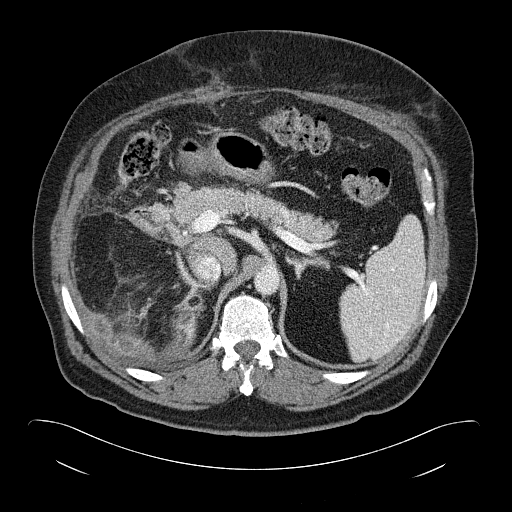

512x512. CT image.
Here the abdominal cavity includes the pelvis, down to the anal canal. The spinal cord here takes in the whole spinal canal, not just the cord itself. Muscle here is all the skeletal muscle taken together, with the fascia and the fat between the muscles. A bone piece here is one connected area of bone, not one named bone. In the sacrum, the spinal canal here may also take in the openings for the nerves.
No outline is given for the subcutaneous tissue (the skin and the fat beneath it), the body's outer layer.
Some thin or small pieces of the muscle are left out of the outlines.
{"abdominal_cavity":[[[262,92],[285,92],[337,109],[410,153],[428,236],[427,289],[417,323],[374,365],[332,371],[292,355],[275,331],[270,304],[241,292],[223,304],[218,330],[198,355],[157,371],[128,367],[88,332],[70,273],[75,218],[100,157],[118,132],[154,112]]],"spinal_cord":[[[246,340],[252,340],[253,341],[255,341],[257,343],[258,343],[259,345],[259,349],[257,351],[257,352],[250,359],[248,360],[245,360],[243,359],[243,358],[235,350],[235,345],[237,343],[239,342],[242,342]]],"bones":[{"outer":[[241,293],[269,304],[274,331],[280,335],[289,354],[286,358],[272,350],[271,369],[255,364],[250,374],[253,390],[249,396],[239,390],[243,375],[238,366],[224,370],[221,366],[224,350],[220,348],[213,355],[210,349],[212,338],[218,334],[224,304]],"hole":[[246,340],[252,340],[253,341],[255,341],[257,343],[258,343],[259,345],[259,349],[257,351],[257,352],[250,359],[248,360],[245,360],[243,359],[243,358],[235,350],[235,345],[237,343],[239,342],[242,342]]},[[424,166],[426,166],[428,168],[428,170],[432,178],[433,195],[434,196],[434,199],[435,200],[435,206],[434,207],[434,214],[432,216],[429,215],[427,213],[422,203],[422,194],[421,193],[421,182],[420,181],[420,178],[419,177],[419,172],[421,168]],[[365,369],[368,369],[370,371],[369,373],[365,376],[353,382],[346,383],[345,384],[334,383],[329,381],[327,379],[324,379],[322,377],[322,373],[325,372],[330,372],[331,371],[332,372],[347,372],[348,371],[357,371],[358,370],[364,370]],[[62,284],[65,284],[69,291],[70,296],[75,306],[75,308],[77,311],[77,313],[81,321],[81,324],[84,330],[84,333],[83,334],[82,334],[76,328],[65,310],[65,308],[63,304],[62,296],[61,295],[61,285]],[[431,279],[435,279],[437,283],[437,299],[436,300],[435,307],[433,311],[426,320],[426,321],[422,323],[421,322],[421,319],[423,315],[423,308],[424,307],[424,303],[425,302],[425,299],[426,298],[426,295],[427,294],[427,290],[428,289],[428,281]],[[126,367],[128,368],[137,368],[138,369],[144,369],[145,370],[148,370],[152,372],[155,372],[161,375],[164,378],[159,381],[150,381],[149,382],[147,381],[144,381],[143,380],[139,380],[135,377],[130,375],[125,370],[125,368]]],"muscle":[[[213,84],[287,87],[337,95],[366,104],[410,126],[432,151],[443,176],[449,240],[448,281],[435,309],[436,316],[423,350],[407,370],[349,399],[306,411],[289,410],[250,396],[254,390],[251,374],[256,364],[267,370],[274,367],[272,351],[286,359],[291,354],[302,362],[330,371],[322,372],[321,377],[334,384],[350,384],[365,377],[371,372],[369,368],[402,344],[416,327],[422,312],[420,322],[427,321],[438,299],[437,280],[428,280],[429,236],[424,209],[432,217],[436,206],[429,168],[422,166],[418,178],[411,153],[386,132],[337,108],[285,91],[235,94],[170,105],[118,131],[100,155],[89,189],[74,218],[69,261],[74,303],[67,285],[60,285],[64,310],[75,328],[83,335],[83,323],[89,335],[111,358],[125,366],[124,370],[130,376],[148,383],[159,382],[165,378],[156,372],[198,356],[210,342],[213,356],[223,350],[220,366],[224,371],[237,366],[242,375],[238,390],[244,396],[205,409],[174,408],[128,392],[70,353],[51,283],[50,228],[74,157],[98,129],[120,114],[167,94]]],"torso":[[[244,29],[310,31],[383,51],[415,70],[452,104],[472,141],[478,245],[464,311],[428,374],[407,400],[388,411],[328,429],[275,436],[219,435],[132,416],[90,398],[62,376],[34,286],[32,225],[38,188],[52,151],[78,103],[108,78],[175,44]]]}